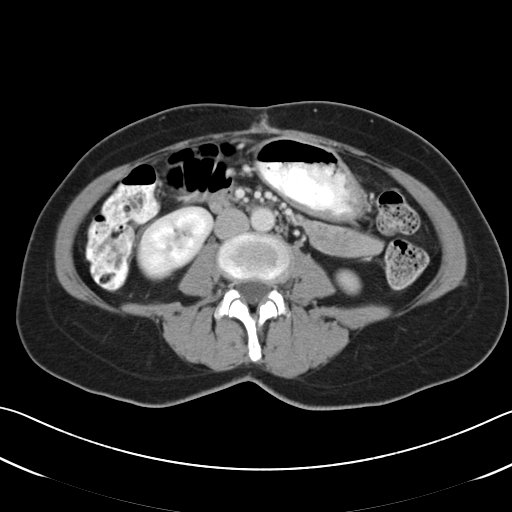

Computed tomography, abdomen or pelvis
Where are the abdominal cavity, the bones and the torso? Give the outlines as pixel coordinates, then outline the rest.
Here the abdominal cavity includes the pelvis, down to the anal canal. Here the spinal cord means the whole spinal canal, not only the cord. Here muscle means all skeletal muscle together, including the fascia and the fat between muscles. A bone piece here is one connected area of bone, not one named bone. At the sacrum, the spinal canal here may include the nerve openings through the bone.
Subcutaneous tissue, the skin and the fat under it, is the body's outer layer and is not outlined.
The abdominal cavity is outlined by [[258,134],[344,152],[407,191],[440,251],[435,274],[416,295],[396,308],[320,306],[335,291],[324,268],[281,237],[250,230],[203,246],[177,284],[186,297],[200,297],[188,306],[178,299],[114,305],[88,285],[76,261],[78,236],[132,168],[192,144]]. The bones are outlined by [[250,231],[281,238],[289,245],[292,254],[289,273],[277,285],[290,315],[268,318],[257,328],[261,346],[261,357],[257,361],[252,361],[248,355],[248,336],[243,323],[227,315],[219,319],[214,317],[215,309],[230,282],[218,267],[218,249],[224,241]]; inner edge: [[248,280],[259,280],[262,282],[269,283],[271,285],[271,289],[267,293],[266,295],[266,299],[263,302],[260,302],[257,305],[255,305],[254,306],[253,305],[249,305],[246,302],[243,301],[241,299],[241,295],[235,286],[239,281],[247,281]]. The torso is outlined by [[301,100],[342,102],[382,114],[431,142],[457,169],[494,233],[508,276],[506,323],[483,362],[457,379],[390,403],[308,410],[251,381],[175,405],[146,407],[86,391],[32,361],[14,321],[24,253],[42,207],[90,147],[130,122],[177,105],[267,106]]. The spinal cord is outlined by [[248,280],[259,280],[262,282],[269,283],[271,285],[271,289],[267,293],[266,295],[266,299],[263,302],[260,302],[257,305],[255,305],[254,306],[253,305],[249,305],[246,302],[243,301],[241,299],[241,295],[235,286],[239,281],[247,281]]. The muscle is outlined by [[267,126],[279,128],[280,129],[294,129],[304,132],[313,133],[333,139],[336,141],[339,141],[348,144],[360,150],[369,153],[371,155],[386,163],[388,163],[403,170],[425,184],[434,192],[448,208],[452,215],[455,218],[458,226],[461,230],[464,240],[464,244],[466,250],[466,257],[467,258],[466,272],[464,276],[464,283],[463,284],[461,284],[448,291],[440,297],[425,304],[417,306],[397,317],[380,320],[367,325],[358,331],[355,336],[350,340],[347,345],[326,364],[315,371],[313,371],[311,373],[299,378],[284,378],[283,377],[280,377],[256,366],[240,366],[225,371],[213,371],[212,370],[205,371],[194,368],[188,365],[178,357],[164,339],[156,324],[150,319],[146,317],[131,316],[130,315],[124,317],[109,313],[97,306],[89,304],[72,296],[63,288],[57,279],[54,268],[54,240],[55,239],[57,227],[66,208],[70,202],[94,178],[114,167],[133,161],[150,152],[188,138],[192,138],[210,133],[218,133],[219,132],[233,131],[234,130],[243,130],[244,129],[248,129],[251,127],[266,127]] with a hole at [[258,134],[344,152],[407,191],[440,251],[416,295],[396,308],[320,306],[334,285],[291,247],[277,285],[290,315],[257,328],[252,361],[243,323],[214,317],[230,281],[213,239],[177,284],[200,297],[188,306],[114,305],[88,285],[78,236],[132,168]].